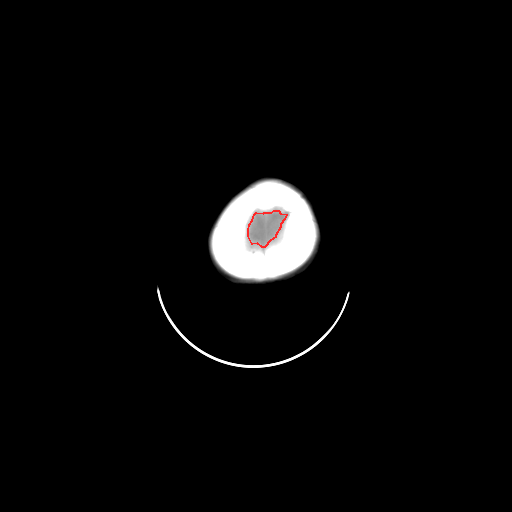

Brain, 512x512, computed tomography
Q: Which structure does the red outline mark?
A: red: brain.
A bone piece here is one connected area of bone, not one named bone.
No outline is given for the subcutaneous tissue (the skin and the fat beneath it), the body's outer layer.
Outlines:
brain: (274, 210) (278, 210) (280, 213) (286, 214) (284, 219) (280, 224) (280, 227) (275, 235) (275, 237) (270, 240) (264, 247) (262, 247) (257, 243) (252, 244) (248, 236) (248, 230) (249, 224) (252, 220) (254, 214) (256, 212) (263, 213) (264, 212) (271, 212)
bones: (263, 178) (277, 178) (283, 180) (294, 186) (303, 194) (314, 212) (319, 228) (319, 238) (315, 250) (311, 257) (296, 270) (275, 279) (268, 279) (262, 281) (239, 279) (224, 272) (214, 262) (209, 250) (208, 243) (209, 236) (216, 219) (226, 204) (237, 193) (248, 185), around a hole outlined by (274, 210) (278, 210) (280, 213) (286, 214) (284, 219) (280, 224) (280, 227) (275, 235) (275, 237) (270, 240) (264, 247) (262, 247) (257, 243) (252, 244) (248, 236) (248, 230) (249, 224) (252, 220) (254, 214) (256, 212) (263, 213) (264, 212) (271, 212)
head: (264, 172) (280, 174) (293, 180) (311, 198) (321, 221) (321, 225) (323, 227) (324, 234) (323, 247) (314, 265) (307, 272) (299, 277) (285, 283) (269, 287) (262, 288) (238, 287) (231, 285) (221, 279) (208, 263) (205, 247) (206, 234) (214, 215) (228, 196) (252, 176)